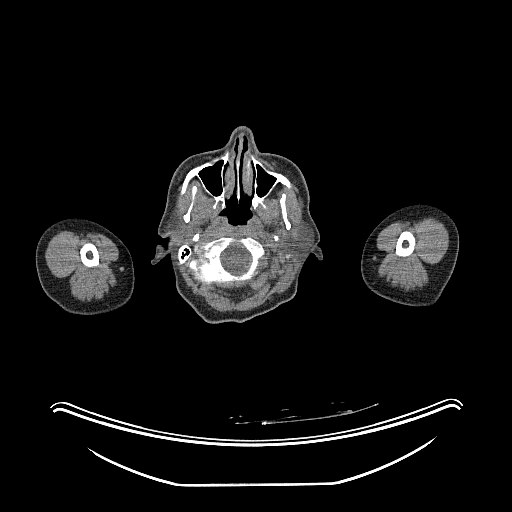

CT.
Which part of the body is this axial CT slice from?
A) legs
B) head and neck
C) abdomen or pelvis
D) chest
Answer: B) head and neck
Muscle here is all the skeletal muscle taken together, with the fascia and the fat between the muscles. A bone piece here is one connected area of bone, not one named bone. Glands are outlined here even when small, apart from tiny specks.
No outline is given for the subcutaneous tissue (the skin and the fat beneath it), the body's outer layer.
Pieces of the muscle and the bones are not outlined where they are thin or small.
The left arm is outlined by (415, 203) (431, 204) (445, 211) (454, 221) (459, 235) (459, 249) (457, 254) (457, 259) (453, 272) (447, 284) (441, 295) (434, 304) (430, 306) (420, 307) (400, 304) (377, 295) (368, 289) (365, 285) (360, 271) (362, 250) (372, 230) (386, 216) (392, 212) (404, 206). The right arm is outlined by (72, 217) (88, 219) (104, 226) (115, 234) (129, 250) (134, 269) (135, 278) (134, 287) (129, 300) (118, 309) (95, 315) (80, 315) (69, 313) (63, 310) (55, 302) (50, 299) (42, 289) (38, 279) (35, 265) (35, 250) (38, 240) (42, 233) (50, 225) (59, 220). The parotid glands appear in 2 outlined pieces: piece 1: (302, 219) (303, 219) (306, 222) (307, 222) (306, 223) (307, 224) (308, 224) (308, 225) (312, 229) (312, 231) (313, 232) (313, 239) (311, 242) (311, 244) (306, 249) (304, 249) (303, 250) (300, 251) (296, 246) (296, 242) (295, 241) (295, 234) (296, 233) (296, 230); piece 2: (172, 216) (175, 216) (177, 218) (177, 219) (178, 220) (179, 220) (179, 223) (180, 224) (180, 228) (179, 229) (179, 232) (178, 233) (168, 233) (168, 232) (166, 229) (166, 226) (167, 225) (167, 224) (168, 223) (168, 222) (169, 221) (169, 220) (170, 219) (170, 218). The brain is outlined by (232, 243) (239, 243) (241, 244) (250, 254) (250, 261) (249, 262) (249, 264) (247, 268) (241, 273) (238, 273) (237, 274) (235, 273) (232, 273) (229, 270) (226, 269) (226, 268) (224, 267) (221, 261) (221, 254) (222, 252). The muscle appears in 3 outlined pieces: piece 1: (255, 155) (269, 162) (276, 162) (288, 170) (297, 182) (303, 201) (302, 218) (294, 234) (295, 246) (299, 251) (298, 266) (290, 286) (271, 300) (249, 310) (221, 312) (210, 309) (191, 292) (177, 263) (186, 264) (193, 279) (202, 285) (215, 284) (224, 288) (229, 285) (239, 286) (259, 273) (265, 248) (251, 236) (224, 235) (199, 244) (199, 232) (191, 237) (195, 244) (192, 246) (186, 241) (178, 247) (181, 224) (172, 215) (178, 180) (186, 166) (212, 158) (187, 171) (179, 194) (183, 195) (191, 181) (196, 179) (202, 189) (212, 197) (213, 209) (219, 206) (220, 213) (230, 224) (245, 224) (252, 215) (251, 210) (259, 206) (266, 208) (264, 201) (277, 184) (288, 189) (292, 187) (291, 181) (283, 173) (269, 169), around holes outlined by (282, 193) (285, 193) (286, 195) (286, 197) (285, 198) (285, 206) (286, 207) (287, 218) (291, 225) (289, 229) (287, 229) (286, 228) (286, 226) (285, 225) (285, 223) (284, 222) (284, 220) (281, 213) (281, 208) (280, 207) (280, 203) (279, 201) (280, 200) and by (193, 185) (196, 185) (197, 187) (197, 191) (196, 192) (196, 194) (194, 198) (194, 203) (190, 211) (190, 215) (189, 216) (189, 221) (188, 222) (185, 222) (183, 219) (183, 215) (187, 211) (191, 203) (191, 187); piece 2: (428, 216) (437, 218) (444, 224) (448, 231) (449, 244) (446, 253) (439, 262) (436, 271) (429, 279) (429, 282) (426, 286) (410, 291) (404, 291) (398, 287) (392, 287) (383, 278) (379, 276) (376, 267) (376, 240) (379, 232) (389, 224) (399, 220) (402, 221) (411, 217); inner edge: (405, 230) (410, 231) (413, 234) (415, 238) (415, 245) (414, 246) (413, 251) (409, 255) (407, 256) (399, 256) (398, 255) (396, 255) (395, 253) (395, 247) (396, 246) (396, 243) (397, 242) (398, 237) (400, 235) (400, 234) (403, 231); piece 3: (60, 230) (69, 230) (74, 232) (82, 230) (101, 233) (108, 237) (116, 245) (119, 251) (119, 270) (117, 276) (118, 284) (117, 286) (112, 288) (102, 299) (93, 300) (91, 302) (82, 302) (73, 298) (62, 280) (55, 277) (49, 270) (45, 260) (45, 250) (49, 240); inner edge: (87, 242) (90, 242) (91, 243) (94, 244) (94, 245) (97, 249) (97, 251) (98, 252) (98, 254) (99, 255) (99, 265) (98, 265) (97, 266) (88, 267) (87, 266) (84, 265) (84, 264) (81, 260) (81, 258) (80, 257) (80, 248) (84, 243) (86, 243). The bones appear in 6 outlined pieces: piece 1: (241, 137) (241, 152) (248, 148) (269, 170) (283, 174) (290, 188) (277, 183) (263, 201) (265, 208) (255, 209) (250, 209) (251, 198) (242, 189) (238, 201) (234, 189) (223, 209) (213, 208) (213, 197) (196, 178) (180, 194) (191, 168) (227, 150) (236, 152); inner edges: (220, 161) (221, 162) (221, 167) (220, 168) (220, 185) (221, 186) (221, 191) (219, 193) (219, 194) (217, 195) (215, 195) (213, 193) (212, 193) (212, 192) (205, 184) (204, 181) (202, 179) (200, 175) (200, 172) (201, 172) (204, 169) (208, 167) (213, 166) (214, 164), then (258, 168) (260, 168) (266, 174) (267, 174) (268, 175) (273, 177) (273, 178) (274, 179) (273, 182) (268, 188) (267, 191) (266, 191) (265, 192) (265, 193) (264, 193) (262, 195) (259, 195) (257, 192) (257, 188) (258, 187) (258, 182) (257, 181) (257, 179) (258, 178); piece 2: (196, 233) (199, 233) (196, 243) (199, 245) (224, 236) (251, 237) (257, 240) (264, 248) (258, 273) (239, 285) (229, 284) (224, 287) (215, 283) (200, 283) (194, 279) (187, 264) (180, 264) (177, 258) (178, 248) (182, 244) (186, 242) (192, 247) (196, 244) (192, 240); inner edge: (232, 243) (239, 243) (241, 244) (250, 254) (250, 261) (249, 262) (249, 264) (247, 268) (241, 273) (238, 273) (237, 274) (235, 273) (232, 273) (229, 270) (226, 269) (226, 268) (224, 267) (221, 261) (221, 254) (222, 252); piece 3: (405, 230) (410, 231) (413, 234) (415, 238) (415, 245) (414, 246) (413, 251) (409, 255) (407, 256) (399, 256) (398, 255) (396, 255) (395, 253) (395, 247) (396, 246) (396, 243) (397, 242) (398, 237) (400, 235) (400, 234) (403, 231); piece 4: (87, 242) (90, 242) (91, 243) (94, 244) (94, 245) (97, 249) (97, 251) (98, 252) (98, 254) (99, 255) (99, 265) (98, 265) (97, 266) (88, 267) (87, 266) (84, 265) (84, 264) (81, 260) (81, 258) (80, 257) (80, 248) (84, 243) (86, 243); piece 5: (282, 193) (285, 193) (286, 195) (286, 197) (285, 198) (285, 206) (286, 207) (287, 218) (291, 225) (289, 229) (287, 229) (286, 228) (286, 226) (285, 225) (285, 223) (284, 222) (284, 220) (281, 213) (281, 208) (280, 207) (280, 203) (279, 201) (280, 200); piece 6: (193, 185) (196, 185) (197, 187) (197, 191) (196, 192) (196, 194) (194, 198) (194, 203) (190, 211) (190, 215) (189, 216) (189, 221) (188, 222) (185, 222) (183, 219) (183, 215) (187, 211) (191, 203) (191, 187). The head is outlined by (239, 125) (251, 129) (260, 151) (284, 156) (302, 172) (323, 257) (320, 261) (313, 253) (308, 255) (297, 291) (289, 301) (243, 322) (209, 323) (178, 293) (170, 256) (167, 254) (155, 264) (151, 259) (156, 245) (168, 241) (157, 229) (175, 169) (190, 155) (223, 146), around holes outlined by (234, 190) (235, 190) (235, 197) (238, 202) (241, 198) (241, 190) (242, 190) (243, 193) (246, 196) (250, 198) (250, 207) (249, 209) (251, 212) (251, 215) (245, 223) (241, 224) (230, 223) (228, 220) (228, 218) (221, 213) (222, 210) (226, 207) (226, 200) (232, 195) and by (220, 161) (221, 162) (221, 167) (220, 168) (220, 185) (221, 186) (221, 191) (219, 193) (219, 194) (217, 195) (215, 195) (213, 193) (212, 193) (212, 192) (205, 184) (204, 181) (202, 179) (200, 175) (200, 172) (201, 172) (204, 169) (208, 167) (213, 166) (214, 164) and by (258, 168) (260, 168) (266, 174) (267, 174) (268, 175) (273, 177) (273, 178) (274, 179) (273, 182) (268, 188) (267, 191) (266, 191) (265, 192) (265, 193) (264, 193) (262, 195) (259, 195) (257, 192) (257, 188) (258, 187) (258, 182) (257, 181) (257, 179) (258, 178) and by (243, 138) (245, 138) (246, 139) (246, 143) (247, 144) (247, 148) (246, 149) (246, 150) (243, 153) (242, 152) (242, 150) (243, 149).